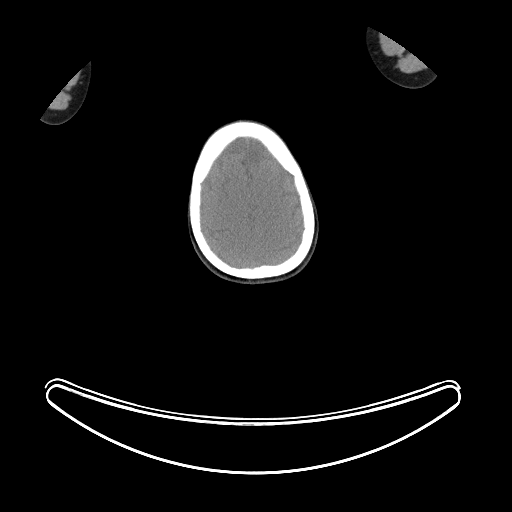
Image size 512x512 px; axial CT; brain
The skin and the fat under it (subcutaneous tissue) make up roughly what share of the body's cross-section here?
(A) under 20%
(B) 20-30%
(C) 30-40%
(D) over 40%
(A) under 20%
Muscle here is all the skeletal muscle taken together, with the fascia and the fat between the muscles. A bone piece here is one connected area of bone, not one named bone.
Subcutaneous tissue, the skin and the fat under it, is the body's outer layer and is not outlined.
The bones are outlined by [[235,120],[257,121],[269,126],[277,132],[285,141],[297,160],[309,188],[315,217],[315,227],[312,244],[302,262],[291,271],[281,275],[249,279],[227,274],[219,270],[206,259],[199,249],[192,233],[188,217],[188,196],[194,164],[206,138],[216,128]]; inner edge: [[238,138],[251,138],[257,140],[283,169],[292,177],[293,185],[299,202],[302,221],[302,230],[299,243],[295,250],[285,259],[277,263],[262,263],[254,266],[232,265],[222,259],[212,249],[202,230],[201,223],[202,183],[207,177],[217,158],[229,144]]. The right arm is outlined by [[90,61],[92,63],[92,71],[91,72],[90,83],[84,102],[79,110],[69,120],[64,123],[58,125],[49,125],[42,122],[40,120],[40,118],[52,100],[54,99],[54,97],[70,80],[73,75],[80,69],[83,68],[87,63]]. The head is outlined by [[240,118],[249,118],[263,122],[273,128],[283,138],[301,167],[317,206],[320,229],[315,252],[303,271],[285,281],[261,285],[244,285],[221,279],[210,272],[202,264],[194,252],[188,236],[186,224],[188,196],[192,171],[200,149],[206,138],[216,128]]. The muscle appears in 2 outlined pieces: piece 1: [[379,32],[387,36],[389,38],[391,38],[392,40],[394,40],[397,42],[398,44],[400,44],[403,46],[406,50],[417,56],[428,68],[413,74],[401,73],[397,71],[392,67],[388,60],[388,58],[381,51],[379,45],[379,40],[378,39],[378,33]]; piece 2: [[80,69],[82,70],[81,77],[73,88],[73,98],[70,102],[69,106],[65,110],[61,110],[60,111],[58,111],[57,110],[52,110],[51,109],[50,110],[48,110],[47,108],[52,101],[52,100],[54,99],[54,97],[70,80],[73,75]]. The left arm is outlined by [[366,27],[370,27],[389,38],[391,38],[392,40],[394,40],[398,44],[400,44],[403,46],[406,50],[417,56],[426,66],[435,73],[436,78],[430,84],[424,87],[421,88],[407,88],[393,83],[384,77],[374,65],[368,54],[365,44],[365,29]]. The brain is outlined by [[238,138],[251,138],[257,140],[283,169],[292,177],[293,185],[299,202],[302,221],[302,230],[299,243],[295,250],[285,259],[277,263],[262,263],[254,266],[232,265],[222,259],[212,249],[202,230],[201,223],[202,183],[207,177],[217,158],[229,144]].